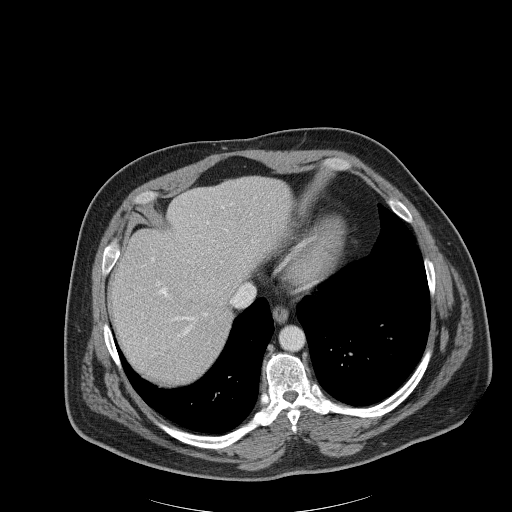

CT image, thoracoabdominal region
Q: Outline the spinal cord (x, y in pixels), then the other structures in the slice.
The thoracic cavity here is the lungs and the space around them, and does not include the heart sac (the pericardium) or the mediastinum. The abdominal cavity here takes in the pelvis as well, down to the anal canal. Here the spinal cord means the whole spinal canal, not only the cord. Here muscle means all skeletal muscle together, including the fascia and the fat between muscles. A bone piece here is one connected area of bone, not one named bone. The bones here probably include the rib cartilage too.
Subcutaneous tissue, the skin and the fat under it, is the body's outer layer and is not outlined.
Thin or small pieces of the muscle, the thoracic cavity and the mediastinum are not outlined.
A: {"spinal_cord":[[[288,391],[294,391],[295,392],[296,392],[297,393],[297,395],[296,396],[296,397],[295,398],[295,399],[293,401],[292,401],[291,402],[290,401],[288,401],[287,400],[286,400],[283,397],[283,394],[285,392],[287,392]]],"abdominal_cavity":[[[231,156],[255,160],[272,170],[315,165],[339,172],[321,194],[313,219],[306,229],[253,282],[253,301],[233,319],[225,344],[209,369],[191,384],[160,388],[131,367],[114,338],[106,311],[107,276],[120,255],[120,242],[129,215],[136,206],[176,190]]],"muscle":[{"outer":[[244,149],[264,149],[265,150],[337,149],[355,155],[394,185],[413,204],[423,218],[424,221],[429,226],[429,230],[435,239],[435,243],[439,250],[456,269],[465,285],[472,311],[473,340],[472,341],[472,345],[461,365],[454,372],[448,382],[428,402],[388,429],[367,439],[365,442],[365,445],[360,450],[352,454],[339,456],[338,457],[325,455],[321,453],[318,450],[317,447],[307,443],[302,439],[294,439],[292,441],[291,445],[287,448],[285,452],[277,461],[269,466],[261,469],[245,470],[238,468],[236,463],[217,462],[198,457],[194,457],[174,451],[169,448],[156,444],[150,440],[144,438],[123,424],[113,419],[111,419],[103,414],[93,411],[88,407],[82,397],[82,392],[80,387],[81,373],[82,372],[81,366],[83,363],[82,359],[86,350],[87,342],[92,330],[92,304],[91,303],[92,302],[92,296],[91,295],[91,271],[92,270],[92,265],[101,237],[113,214],[121,204],[125,197],[133,189],[151,179],[201,160],[212,154],[228,152],[229,151],[235,151],[236,150],[243,150]],"hole":[[231,156],[272,170],[320,169],[323,159],[340,157],[351,164],[345,171],[359,177],[386,206],[394,197],[409,210],[412,222],[407,224],[435,273],[425,345],[431,355],[416,386],[390,411],[360,417],[320,414],[301,406],[293,433],[284,409],[269,425],[259,425],[227,446],[204,448],[156,425],[153,419],[175,425],[144,401],[113,360],[102,328],[108,322],[104,248],[115,237],[122,241],[136,195],[174,191]]}],"pericardium":[[[322,194],[333,197],[345,206],[354,215],[355,246],[347,262],[334,274],[322,282],[313,292],[303,295],[288,297],[276,291],[275,286],[270,279],[272,266],[273,264],[276,263],[279,256],[298,239],[301,234],[307,229],[313,221],[316,208]]],"thoracic_cavity":[[[379,203],[387,206],[407,223],[419,248],[430,301],[429,330],[420,360],[399,388],[377,403],[368,406],[352,406],[328,397],[315,380],[307,338],[296,311],[298,304],[306,296],[312,294],[322,283],[347,263],[363,258],[370,253],[381,228],[378,211]],[[257,298],[264,298],[268,304],[273,321],[273,332],[261,363],[263,388],[258,396],[257,409],[245,422],[217,435],[184,430],[148,405],[134,389],[123,370],[115,339],[127,363],[141,378],[160,389],[185,387],[199,380],[210,369],[226,344],[234,319]]],"bones":[{"outer":[[427,348],[431,355],[416,386],[380,416],[320,414],[301,406],[293,433],[284,409],[269,425],[259,425],[216,449],[184,443],[153,421],[201,435],[217,436],[234,430],[258,409],[264,388],[263,359],[277,352],[297,356],[334,402],[368,407],[399,389]],"hole":[[288,391],[294,391],[295,392],[296,392],[297,393],[297,395],[296,396],[296,397],[295,398],[295,399],[293,401],[292,401],[291,402],[290,401],[288,401],[287,400],[286,400],[283,397],[283,394],[285,392],[287,392]]},[[115,237],[116,237],[118,239],[118,241],[119,242],[119,255],[118,256],[118,257],[117,258],[115,263],[111,268],[109,273],[106,276],[104,276],[102,274],[102,272],[101,271],[101,263],[102,262],[102,255],[103,254],[103,250],[104,249],[104,248]],[[106,322],[108,323],[109,327],[111,330],[111,332],[114,339],[114,342],[116,346],[116,349],[119,356],[119,359],[121,363],[122,370],[119,369],[119,368],[113,360],[106,346],[106,344],[104,340],[104,337],[103,336],[103,329],[102,328],[103,324]],[[391,197],[394,197],[395,198],[397,198],[406,206],[406,207],[409,210],[412,216],[412,222],[411,223],[408,223],[406,222],[399,216],[398,216],[393,211],[391,210],[391,209],[388,206],[386,202],[387,200]],[[328,157],[340,157],[341,158],[346,159],[350,162],[350,163],[351,164],[351,167],[347,170],[345,170],[344,171],[336,171],[335,170],[332,170],[331,169],[326,169],[325,168],[322,168],[321,167],[321,161],[323,159],[324,159],[325,158],[327,158]],[[424,257],[429,258],[429,259],[432,262],[433,267],[434,268],[434,272],[435,273],[435,290],[434,291],[433,297],[431,298],[429,293],[429,288],[427,283],[427,277],[426,276],[426,272],[425,271],[425,267],[424,266],[424,262],[423,261],[423,258]],[[147,190],[152,190],[153,191],[155,191],[157,192],[158,193],[158,195],[157,197],[152,201],[150,201],[142,205],[137,205],[135,204],[133,202],[133,199],[134,197],[139,193],[143,191],[146,191]]],"torso":[[[319,126],[353,130],[391,150],[444,211],[466,245],[481,285],[492,361],[490,380],[467,417],[449,431],[360,465],[262,481],[210,479],[166,471],[130,460],[82,438],[72,427],[65,407],[64,323],[77,238],[86,209],[97,190],[130,161],[166,146]]],"mediastinum":[[[270,266],[269,279],[278,294],[288,298],[310,294],[297,304],[295,313],[306,338],[314,379],[308,373],[310,370],[304,362],[295,354],[277,351],[267,359],[264,358],[274,332],[274,321],[267,300],[264,297],[255,299],[254,282],[261,278],[264,270]],[[345,171],[359,177],[373,190],[381,201],[383,202],[383,203],[379,202],[377,204],[380,228],[371,250],[367,255],[348,262],[356,246],[355,215],[339,200],[331,195],[326,194],[326,190],[328,189],[327,188],[328,186],[332,183],[338,173]]]}